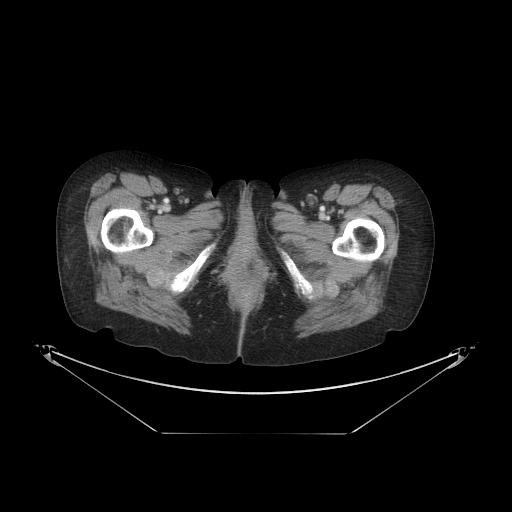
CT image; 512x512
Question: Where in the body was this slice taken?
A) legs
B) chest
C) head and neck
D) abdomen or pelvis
Answer: D) abdomen or pelvis
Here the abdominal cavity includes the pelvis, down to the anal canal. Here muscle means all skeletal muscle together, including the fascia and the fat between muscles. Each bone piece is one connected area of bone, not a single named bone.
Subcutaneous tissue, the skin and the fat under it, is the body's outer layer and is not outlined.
The muscle appears in 3 outlined pieces: piece 1: 125,170 150,171 163,182 169,194 181,206 214,202 227,211 227,232 215,259 200,274 199,281 181,301 193,324 192,335 184,335 127,313 101,306 94,300 94,279 89,264 83,223 85,205 93,182 106,172 with holes at 120,207 131,208 136,210 138,212 144,225 152,230 153,232 153,240 149,245 141,248 134,249 131,251 123,252 122,253 113,253 104,247 100,238 100,229 101,228 102,220 105,214 110,209 112,208 119,208 and at 212,242 216,242 215,248 211,252 210,255 206,259 188,286 181,292 173,292 169,288 169,283 173,277 177,273 180,272 186,267 190,265 194,261 199,253 207,245; piece 2: 348,179 371,179 382,184 396,202 400,236 397,255 387,283 385,308 374,317 355,326 296,338 292,326 305,306 297,297 270,250 265,213 274,202 282,201 293,205 304,214 317,205 324,191 331,184 with holes at 357,217 363,218 367,217 374,220 381,227 384,233 385,238 384,251 378,259 373,261 369,265 366,265 367,264 366,263 357,261 351,258 337,255 332,251 333,240 335,238 339,237 343,233 344,228 348,221 and at 277,247 282,248 289,255 295,263 299,271 303,276 311,283 313,287 313,292 312,293 314,295 313,298 309,299 304,295 298,288 295,287 294,285 294,281 291,275 289,273 287,267 281,258 280,254 277,250; piece 3: 243,238 250,238 263,251 268,259 269,271 271,273 268,281 266,294 264,296 261,306 246,317 244,317 236,311 232,311 229,307 227,304 227,292 223,288 218,279 218,274 222,269 223,262 228,249 235,242, around a hole outlined by 244,249 247,249 255,252 258,257 260,258 265,270 265,277 260,286 260,293 257,302 254,305 250,307 249,309 247,309 244,311 239,305 226,277 226,272 228,269 229,265 236,255 240,251 242,251. The torso is outlined by 115,149 197,167 212,178 214,193 231,178 261,178 277,191 294,170 348,158 400,167 424,191 435,230 415,319 371,349 287,367 246,366 239,357 199,364 122,344 107,329 76,326 57,271 58,197 81,163. The bones appear in 4 outlined pieces: piece 1: 120,207 131,208 136,210 138,212 144,225 152,230 153,232 153,240 149,245 141,248 134,249 131,251 123,252 122,253 113,253 104,247 100,238 100,229 101,228 102,220 105,214 110,209 112,208 119,208; piece 2: 357,217 363,218 367,217 374,220 381,227 384,233 385,238 384,251 378,259 373,261 369,265 366,265 367,264 366,263 357,261 351,258 337,255 332,251 333,240 335,238 339,237 343,233 344,228 348,221; piece 3: 212,242 216,242 215,248 211,252 210,255 206,259 188,286 181,292 173,292 169,288 169,283 173,277 177,273 180,272 186,267 190,265 194,261 199,253 207,245; piece 4: 277,247 282,248 289,255 295,263 299,271 303,276 311,283 313,287 313,292 312,293 314,295 313,298 309,299 304,295 298,288 295,287 294,285 294,281 291,275 289,273 287,267 281,258 280,254 277,250. The abdominal cavity is outlined by 244,249 247,249 255,252 258,257 260,258 265,270 265,277 260,286 260,293 257,302 254,305 250,307 249,309 247,309 244,311 239,305 226,277 226,272 228,269 229,265 236,255 240,251 242,251.